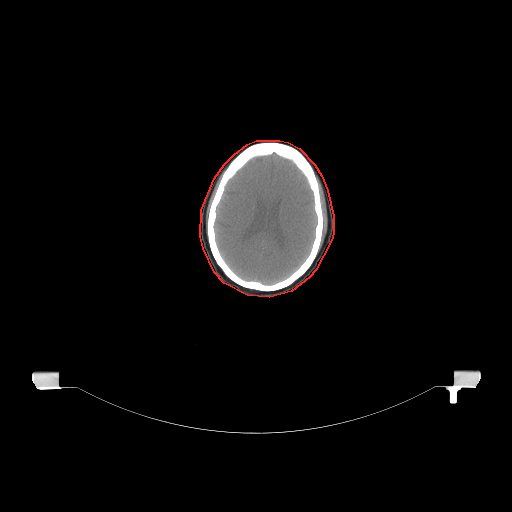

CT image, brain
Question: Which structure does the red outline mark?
Answer: red: head.
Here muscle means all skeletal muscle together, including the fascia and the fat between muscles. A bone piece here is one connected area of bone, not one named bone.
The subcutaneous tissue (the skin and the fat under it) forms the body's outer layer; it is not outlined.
Outlines (x, y in pixels):
head: (256, 140) (279, 140) (288, 142) (299, 148) (314, 164) (321, 175) (327, 190) (333, 216) (333, 233) (331, 240) (315, 270) (309, 277) (291, 291) (269, 297) (247, 295) (224, 283) (214, 272) (203, 248) (200, 236) (201, 210) (214, 178) (224, 164) (234, 154) (247, 144)
brain: (274, 153) (282, 158) (291, 161) (305, 177) (312, 193) (313, 210) (316, 218) (316, 223) (309, 252) (303, 261) (286, 277) (272, 283) (264, 283) (259, 280) (245, 279) (230, 267) (218, 247) (214, 226) (217, 217) (217, 206) (222, 198) (229, 180) (251, 159) (268, 156)
muscle 1: (317, 176) (322, 187) (322, 190) (324, 194) (325, 204) (326, 205) (326, 211) (327, 212) (327, 231) (326, 232) (326, 235) (324, 241) (319, 251) (321, 245) (322, 231) (323, 230) (323, 213) (322, 212) (322, 205) (320, 199) (319, 182)
muscle 2: (220, 177) (218, 184) (216, 187) (216, 189) (214, 192) (213, 197) (210, 202) (210, 205) (208, 209) (208, 216) (206, 220) (206, 235) (206, 222) (205, 221) (205, 213) (207, 209) (207, 205) (209, 202) (209, 199) (211, 196) (211, 194) (215, 187) (215, 185) (217, 181)
bones: (270, 141) (281, 142) (296, 148) (311, 164) (318, 182) (322, 213) (322, 230) (318, 252) (308, 269) (295, 281) (283, 288) (272, 291) (262, 291) (247, 288) (234, 282) (216, 263) (207, 239) (207, 220) (211, 202) (219, 184) (221, 175) (232, 159) (246, 147) (254, 143), around a hole outlined by (274, 153) (282, 158) (291, 161) (305, 177) (312, 193) (313, 210) (316, 218) (316, 223) (309, 252) (303, 261) (286, 277) (272, 283) (264, 283) (259, 280) (245, 279) (230, 267) (218, 247) (214, 226) (217, 217) (217, 206) (222, 198) (229, 180) (251, 159) (268, 156)